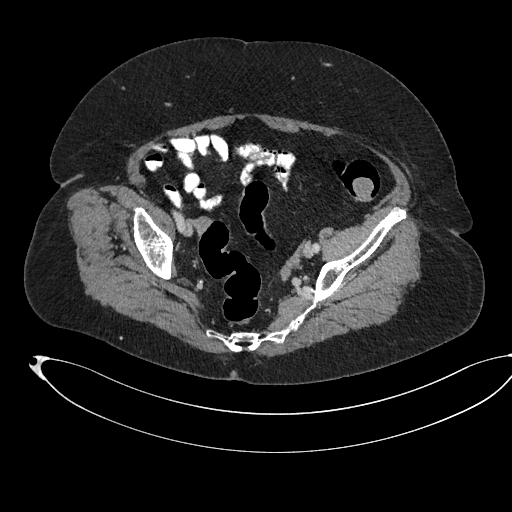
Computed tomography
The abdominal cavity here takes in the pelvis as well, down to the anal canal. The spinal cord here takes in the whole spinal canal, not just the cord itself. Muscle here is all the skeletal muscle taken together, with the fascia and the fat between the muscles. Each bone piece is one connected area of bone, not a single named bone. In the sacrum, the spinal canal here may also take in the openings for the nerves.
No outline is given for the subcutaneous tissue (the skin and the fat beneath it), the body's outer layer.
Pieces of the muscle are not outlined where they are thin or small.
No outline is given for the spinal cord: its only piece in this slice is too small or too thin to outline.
Outlines (x, y in pixels):
muscle 1: (233, 113) (259, 113) (339, 128) (378, 144) (406, 166) (414, 183) (411, 212) (423, 224) (419, 237) (422, 280) (388, 321) (284, 354) (267, 357) (251, 352) (264, 341) (282, 344) (407, 217) (404, 207) (394, 205) (355, 249) (324, 261) (320, 231) (362, 224) (396, 188) (396, 179) (381, 157) (346, 136) (313, 129) (280, 130) (253, 115) (221, 127) (165, 137) (140, 162) (139, 172) (145, 178) (141, 192) (171, 216) (173, 241) (143, 206) (134, 206) (131, 215) (135, 246) (156, 276) (169, 280) (174, 258) (179, 275) (201, 298) (210, 320) (247, 326) (227, 333) (213, 327) (204, 330) (208, 338) (220, 340) (232, 352) (198, 349) (85, 294) (68, 224) (71, 194) (88, 186) (125, 183) (129, 157) (151, 138)
muscle 2: (285, 296) (293, 298) (301, 296) (307, 301) (310, 301) (310, 303) (301, 312) (291, 317) (287, 321) (280, 319) (271, 321) (268, 324) (267, 326) (268, 327) (266, 328) (256, 329) (251, 327) (259, 326) (261, 324) (269, 322) (278, 309) (277, 308) (279, 300)
abdominal cavity: (249, 116) (280, 131) (346, 137) (381, 158) (396, 183) (362, 223) (339, 230) (323, 227) (325, 262) (313, 284) (302, 287) (302, 296) (279, 299) (269, 321) (247, 327) (206, 315) (202, 298) (176, 267) (172, 216) (142, 192) (146, 178) (140, 166) (165, 138) (221, 128)
torso: (206, 36) (332, 45) (378, 64) (417, 96) (452, 156) (473, 221) (461, 237) (483, 266) (483, 304) (466, 332) (372, 371) (260, 385) (163, 367) (53, 326) (34, 312) (24, 291) (24, 260) (36, 220) (59, 187) (49, 158) (67, 118) (98, 80) (127, 59) (162, 44)
bones 1: (394, 206) (404, 208) (406, 217) (282, 343) (264, 340) (252, 351) (233, 352) (220, 339) (206, 335) (207, 328) (226, 334) (242, 328) (266, 329) (271, 322) (287, 322) (301, 313) (311, 303) (303, 296) (303, 287) (314, 284) (326, 262) (355, 250)
bones 2: (136, 206) (141, 206) (143, 207) (152, 218) (153, 221) (171, 238) (173, 242) (172, 269) (171, 270) (171, 277) (169, 279) (164, 279) (156, 275) (146, 265) (141, 254) (136, 246) (133, 237) (133, 229) (132, 228) (133, 226) (133, 223) (132, 222) (133, 209) (134, 207)